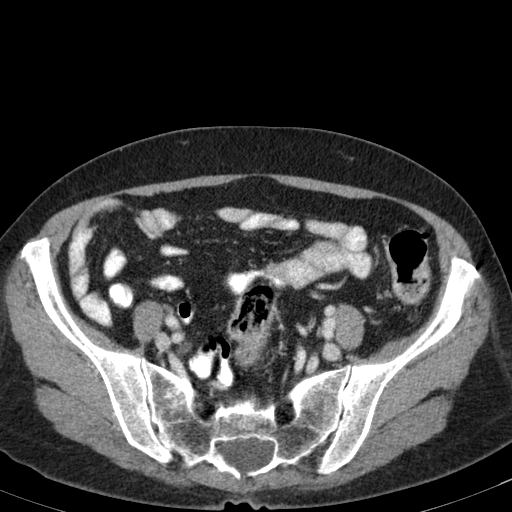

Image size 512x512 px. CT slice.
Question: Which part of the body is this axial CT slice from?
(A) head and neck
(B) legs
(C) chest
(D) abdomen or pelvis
Answer: (D) abdomen or pelvis
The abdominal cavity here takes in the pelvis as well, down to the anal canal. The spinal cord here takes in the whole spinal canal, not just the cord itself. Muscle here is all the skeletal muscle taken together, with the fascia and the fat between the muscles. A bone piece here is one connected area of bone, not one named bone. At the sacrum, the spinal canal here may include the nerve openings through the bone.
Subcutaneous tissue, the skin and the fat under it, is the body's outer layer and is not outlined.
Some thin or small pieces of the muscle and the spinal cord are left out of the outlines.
The bones are outlined by [[43,237],[89,339],[185,376],[207,395],[278,401],[323,371],[390,360],[435,315],[453,255],[481,279],[453,328],[387,382],[350,461],[321,474],[315,451],[237,479],[204,460],[186,467],[175,452],[164,465],[128,443],[100,373],[48,316],[19,258]], around holes outlined by [[247,441],[256,441],[257,442],[267,442],[269,443],[270,444],[270,456],[269,459],[264,464],[256,468],[253,469],[239,469],[236,466],[229,463],[225,459],[224,455],[220,451],[220,448],[221,447],[220,444],[221,443],[227,443],[228,442],[246,442]] and by [[281,405],[287,405],[292,410],[292,416],[291,417],[291,418],[289,420],[281,420],[278,417],[278,416],[277,415],[277,410],[278,409],[278,408]] and by [[203,402],[207,402],[208,403],[209,403],[212,406],[212,408],[213,409],[213,412],[212,413],[212,414],[209,417],[208,417],[207,418],[203,418],[201,416],[201,415],[199,413],[199,412],[198,411],[198,408],[199,407],[199,406]]. The muscle appears in 3 outlined pieces: piece 1: [[19,251],[45,313],[99,373],[127,443],[164,466],[175,453],[186,468],[204,461],[237,480],[315,452],[321,475],[350,462],[388,382],[454,328],[476,280],[490,292],[489,330],[444,429],[375,470],[320,490],[178,487],[63,436],[38,411],[3,301]]; piece 2: [[255,171],[303,176],[356,186],[395,196],[422,206],[446,220],[459,232],[468,243],[478,270],[467,259],[453,254],[449,259],[449,270],[437,308],[423,331],[400,353],[390,359],[358,364],[349,363],[345,358],[349,352],[342,347],[336,338],[335,314],[340,304],[351,304],[361,312],[365,319],[361,343],[352,352],[360,356],[367,356],[375,352],[389,340],[409,335],[430,314],[441,282],[439,247],[434,227],[415,211],[387,198],[350,198],[326,191],[286,185],[271,177],[248,176],[217,185],[195,186],[151,195],[122,193],[105,198],[92,205],[73,222],[57,254],[57,270],[62,293],[51,260],[50,238],[43,236],[27,241],[58,211],[88,198],[134,186],[201,175]]; piece 3: [[65,298],[72,311],[80,318],[125,347],[134,348],[140,345],[139,340],[134,336],[133,329],[133,312],[138,303],[144,300],[153,300],[163,305],[163,323],[153,339],[144,347],[144,356],[135,355],[127,351],[108,349],[95,343],[86,335],[75,321]]. The abdominal cavity is outlined by [[248,177],[383,198],[423,218],[435,232],[440,273],[425,320],[360,355],[353,352],[366,319],[340,303],[335,338],[348,363],[270,400],[207,394],[149,361],[145,347],[165,308],[153,299],[133,308],[134,347],[80,317],[57,259],[80,215],[117,195]]. The spinal cord is outlined by [[247,441],[256,441],[257,442],[267,442],[269,443],[270,444],[270,456],[269,459],[264,464],[256,468],[253,469],[239,469],[236,466],[229,463],[225,459],[224,455],[220,451],[220,448],[221,447],[220,444],[221,443],[227,443],[228,442],[246,442]]. The torso is outlined by [[210,125],[304,126],[357,136],[417,161],[463,196],[480,219],[511,289],[510,444],[441,478],[370,498],[317,507],[279,509],[253,509],[247,503],[227,502],[221,510],[158,506],[86,491],[48,479],[0,451],[0,236],[39,193],[81,163],[151,135]].